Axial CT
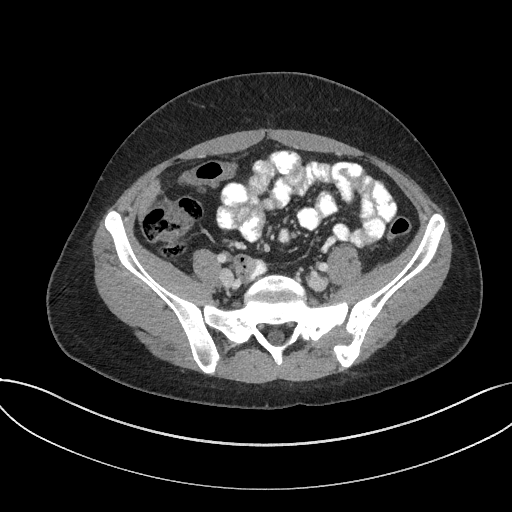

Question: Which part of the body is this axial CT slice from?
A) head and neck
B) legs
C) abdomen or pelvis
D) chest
Answer: C) abdomen or pelvis
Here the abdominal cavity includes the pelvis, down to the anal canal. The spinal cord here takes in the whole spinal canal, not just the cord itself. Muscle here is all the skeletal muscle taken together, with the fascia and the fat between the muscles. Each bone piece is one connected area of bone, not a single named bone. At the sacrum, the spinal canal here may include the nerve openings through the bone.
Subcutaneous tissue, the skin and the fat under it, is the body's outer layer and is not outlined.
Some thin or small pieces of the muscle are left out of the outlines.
The muscle appears in 2 outlined pieces: piece 1: [[202,373],[172,311],[120,264],[103,226],[103,218],[106,212],[109,209],[118,211],[139,261],[160,284],[201,308],[205,303],[219,306],[211,296],[222,289],[224,270],[217,254],[206,248],[196,250],[193,272],[187,276],[150,254],[133,235],[137,198],[164,168],[180,160],[240,150],[266,137],[303,149],[362,157],[378,166],[414,204],[420,228],[400,256],[367,273],[362,272],[351,246],[332,249],[326,259],[326,277],[334,293],[325,302],[345,300],[349,309],[401,270],[433,212],[439,212],[444,216],[446,220],[446,229],[437,254],[387,301],[353,365],[384,347],[441,288],[452,253],[449,224],[442,209],[394,165],[334,138],[296,129],[223,134],[144,172],[106,209],[97,223],[92,240],[95,285],[110,311],[134,330],[152,354]]; piece 2: [[261,384],[274,379],[309,381],[350,372],[349,368],[341,368],[332,352],[335,344],[347,342],[344,323],[317,342],[304,341],[300,337],[283,352],[280,366],[253,337],[246,343],[230,348],[231,343],[219,331],[208,327],[221,358],[215,373],[205,374]]. The abdominal cavity is outlined by [[225,309],[242,306],[247,288],[270,273],[298,280],[309,305],[323,303],[333,293],[331,249],[351,245],[363,272],[389,262],[415,237],[416,209],[362,158],[266,138],[167,167],[138,198],[134,235],[187,275],[196,249],[217,253],[225,273],[212,296]]. The torso is outlined by [[267,410],[351,401],[444,366],[472,337],[483,299],[482,267],[471,227],[447,180],[418,139],[371,97],[335,80],[300,71],[239,73],[210,80],[176,95],[144,118],[102,170],[53,266],[45,296],[49,327],[59,347],[68,357],[100,375],[175,400]]. The spinal cord is outlined by [[276,345],[281,344],[284,341],[287,335],[291,333],[295,329],[296,323],[294,321],[291,321],[287,324],[283,324],[281,326],[268,326],[267,325],[264,325],[261,323],[259,323],[257,325],[257,328],[262,332],[262,334],[265,337],[266,337],[271,343]]. The bones are outlined by [[208,374],[220,358],[208,326],[219,330],[230,347],[253,336],[280,365],[282,352],[300,336],[317,341],[344,322],[348,342],[335,345],[333,352],[342,368],[350,367],[386,301],[436,254],[443,216],[431,215],[402,270],[350,310],[345,301],[309,306],[300,283],[279,274],[258,279],[244,293],[242,307],[225,310],[211,304],[201,309],[160,285],[138,261],[120,214],[109,210],[104,226],[119,261],[173,311],[193,359]]; inner edge: [[276,345],[281,344],[284,341],[287,335],[291,333],[295,329],[296,323],[294,321],[291,321],[287,324],[283,324],[281,326],[268,326],[267,325],[264,325],[261,323],[259,323],[257,325],[257,328],[262,332],[262,334],[265,337],[266,337],[271,343]].